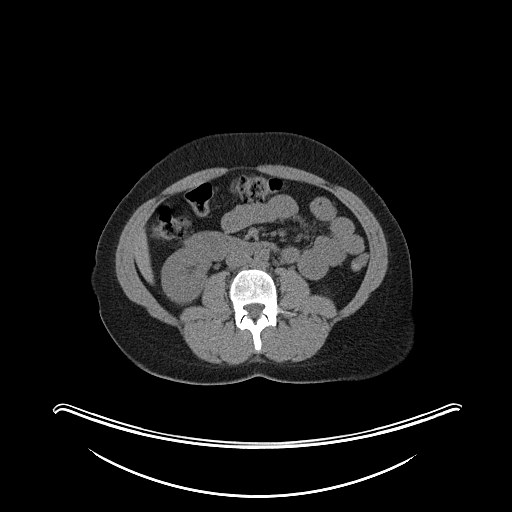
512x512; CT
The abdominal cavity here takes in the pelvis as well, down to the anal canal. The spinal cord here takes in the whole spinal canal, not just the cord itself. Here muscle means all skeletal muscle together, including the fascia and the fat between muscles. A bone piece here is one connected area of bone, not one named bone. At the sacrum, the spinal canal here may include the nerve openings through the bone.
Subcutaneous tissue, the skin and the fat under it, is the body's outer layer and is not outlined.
The abdominal cavity is outlined by (236, 170) (323, 188) (356, 217) (368, 242) (369, 261) (353, 297) (340, 309) (328, 297) (312, 294) (292, 268) (277, 275) (280, 301) (265, 269) (240, 269) (228, 293) (228, 272) (213, 273) (203, 287) (202, 305) (186, 307) (178, 317) (146, 287) (134, 252) (157, 205). The spinal cord is outlined by (252, 303) (258, 303) (259, 304) (262, 304) (263, 305) (263, 308) (261, 310) (261, 311) (260, 312) (259, 315) (256, 318) (255, 318) (254, 319) (249, 316) (249, 313) (248, 312) (248, 311) (247, 310) (246, 310) (244, 307) (246, 305) (247, 305) (248, 304) (251, 304). The torso is outlined by (267, 130) (303, 134) (337, 151) (372, 185) (397, 220) (410, 254) (418, 333) (410, 355) (395, 369) (361, 381) (300, 384) (256, 376) (231, 384) (195, 385) (158, 377) (140, 369) (120, 351) (106, 331) (89, 279) (99, 236) (121, 199) (154, 163) (186, 141) (215, 132). The muscle is outlined by (261, 164) (280, 164) (295, 167) (313, 173) (333, 184) (342, 186) (357, 195) (373, 213) (382, 228) (388, 251) (387, 269) (381, 283) (367, 300) (354, 313) (341, 319) (332, 327) (323, 345) (311, 357) (299, 362) (286, 361) (277, 363) (267, 359) (262, 353) (258, 353) (237, 365) (213, 364) (198, 358) (174, 326) (151, 316) (143, 306) (127, 297) (116, 276) (115, 252) (121, 232) (134, 211) (169, 185) (187, 175) (207, 168) (240, 165) (256, 166) with a hole at (236, 170) (329, 191) (356, 217) (369, 247) (359, 287) (340, 309) (312, 294) (294, 269) (281, 271) (277, 303) (294, 314) (279, 313) (276, 324) (260, 332) (259, 351) (252, 333) (236, 326) (226, 270) (206, 280) (202, 305) (177, 317) (146, 287) (134, 263) (160, 202). The bones are outlined by (253, 268) (265, 270) (270, 274) (276, 286) (278, 306) (286, 312) (294, 313) (293, 315) (279, 313) (276, 316) (276, 324) (268, 325) (260, 332) (261, 349) (259, 351) (254, 348) (252, 333) (248, 329) (240, 329) (236, 326) (232, 302) (229, 297) (229, 286) (237, 272); inner edge: (252, 303) (258, 303) (259, 304) (262, 304) (263, 305) (263, 308) (261, 310) (261, 311) (260, 312) (259, 315) (256, 318) (255, 318) (254, 319) (249, 316) (249, 313) (248, 312) (248, 311) (247, 310) (246, 310) (244, 307) (246, 305) (247, 305) (248, 304) (251, 304).